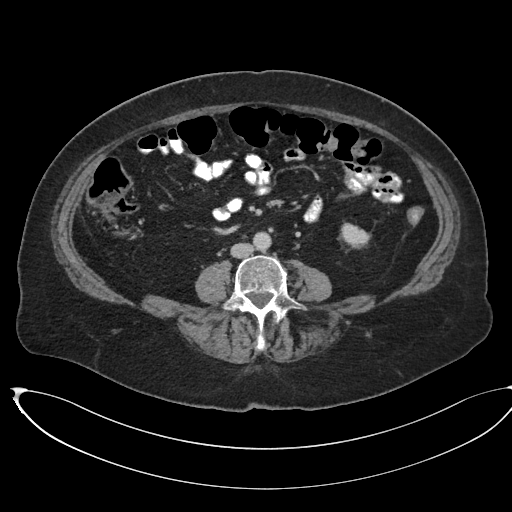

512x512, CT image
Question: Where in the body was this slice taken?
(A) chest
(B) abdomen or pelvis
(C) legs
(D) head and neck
Answer: (B) abdomen or pelvis
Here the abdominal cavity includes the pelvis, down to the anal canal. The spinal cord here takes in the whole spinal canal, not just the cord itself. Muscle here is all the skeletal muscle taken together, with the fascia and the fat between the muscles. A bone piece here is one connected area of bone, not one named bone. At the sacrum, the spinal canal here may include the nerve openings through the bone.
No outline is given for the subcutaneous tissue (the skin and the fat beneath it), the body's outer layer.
Outlined structures:
abdominal cavity: [[249,104],[369,130],[409,156],[438,232],[407,282],[379,299],[325,301],[332,283],[323,271],[292,258],[288,274],[275,256],[258,253],[234,277],[227,259],[202,269],[193,284],[199,305],[153,293],[133,300],[84,260],[73,225],[104,156],[142,132]]
bones: [[258,254],[275,257],[280,262],[287,272],[289,295],[306,307],[290,309],[278,323],[274,320],[274,313],[270,311],[264,318],[262,334],[265,348],[260,351],[255,349],[259,333],[256,317],[247,311],[232,311],[221,306],[233,291],[238,264],[245,258]]; inner edge: [[250,293],[269,293],[270,294],[271,294],[271,297],[270,298],[270,299],[262,307],[258,307],[255,304],[254,304],[253,303],[253,302],[250,299],[250,298],[248,296],[248,295]]
muscle: [[250,100],[269,100],[280,103],[316,106],[341,112],[348,115],[356,116],[380,126],[407,143],[409,146],[418,152],[440,171],[451,188],[457,201],[460,212],[460,222],[461,223],[460,236],[454,257],[445,274],[439,283],[433,289],[420,295],[390,301],[383,305],[353,317],[350,320],[349,324],[345,328],[340,337],[322,353],[308,356],[295,362],[289,363],[278,363],[270,361],[261,354],[255,360],[248,364],[234,364],[214,358],[211,356],[208,356],[196,350],[190,345],[168,321],[151,316],[135,309],[102,301],[83,293],[67,279],[60,264],[55,257],[50,236],[50,228],[51,227],[50,222],[57,198],[70,175],[78,165],[96,149],[135,128],[179,112],[204,106]]; inner edge: [[249,104],[393,142],[438,218],[413,275],[379,299],[325,301],[330,278],[289,259],[288,293],[306,309],[278,323],[270,311],[260,351],[256,317],[221,306],[234,287],[229,260],[199,272],[203,305],[153,293],[133,300],[84,260],[72,234],[112,150]]
torso: [[266,69],[318,74],[370,90],[412,113],[448,145],[468,174],[483,213],[487,298],[493,310],[487,337],[454,362],[372,398],[315,410],[243,412],[167,401],[73,362],[24,349],[15,331],[17,256],[33,193],[65,143],[103,112],[152,88],[201,74]]
spinal cord: [[250,293],[269,293],[270,294],[271,294],[271,297],[270,298],[270,299],[262,307],[258,307],[255,304],[254,304],[253,303],[253,302],[250,299],[250,298],[248,296],[248,295]]